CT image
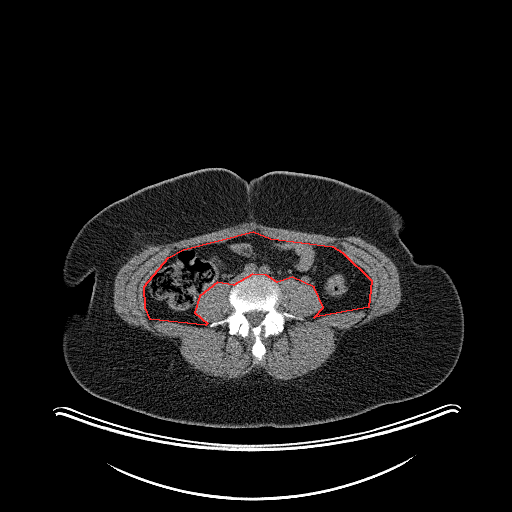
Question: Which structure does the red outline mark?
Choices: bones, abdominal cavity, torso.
Answer: red: abdominal cavity.
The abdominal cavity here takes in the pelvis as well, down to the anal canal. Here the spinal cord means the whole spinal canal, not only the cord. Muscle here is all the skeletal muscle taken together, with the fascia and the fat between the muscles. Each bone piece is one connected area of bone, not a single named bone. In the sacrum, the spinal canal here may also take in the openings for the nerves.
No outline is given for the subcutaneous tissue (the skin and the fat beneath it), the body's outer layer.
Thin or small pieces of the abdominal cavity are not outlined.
abdominal cavity: 253,231 270,238 332,246 342,252 371,280 368,307 314,317 323,307 314,287 292,277 277,282 266,275 252,274 233,285 217,282 199,296 194,312 207,323 205,325 150,319 145,307 144,286 168,257 183,249
spinal cord: 252,311 257,311 258,312 263,312 264,313 264,316 263,317 263,318 262,319 262,320 257,325 252,325 250,323 250,322 248,320 248,319 247,318 247,317 246,316 246,314 247,313 248,313 249,312 251,312
bones: 252,275 266,276 278,284 281,291 278,311 302,317 302,319 287,318 281,332 261,339 265,353 260,360 252,354 254,337 250,333 245,337 230,334 226,323 210,326 232,312 233,308 228,298 232,286 242,278, around a hole outlined by 252,311 257,311 258,312 263,312 264,313 264,316 263,317 263,318 262,319 262,320 257,325 252,325 250,323 250,322 248,320 248,319 247,318 247,317 246,316 246,314 247,313 248,313 249,312 251,312
torso: 213,167 248,181 272,171 333,178 396,209 414,259 443,267 461,300 463,345 447,378 409,400 299,427 179,423 83,389 62,353 66,318 86,309 93,284 92,274 73,288 63,282 74,237 111,203
muscle: 251,221 335,237 357,236 373,244 398,270 400,302 392,311 347,329 327,360 301,377 285,381 275,379 262,368 255,368 235,379 206,377 192,369 167,338 130,325 115,312 115,276 127,260 146,245 174,242 with a hole at 253,231 270,238 332,246 342,252 371,280 368,307 314,317 323,307 315,288 292,277 280,279 277,281 281,291 277,310 302,319 287,318 281,332 263,337 265,353 260,360 252,354 254,337 250,333 245,337 230,334 226,323 210,326 233,310 228,298 230,283 217,282 197,299 194,312 207,323 205,325 150,319 145,307 144,286 168,257 183,249